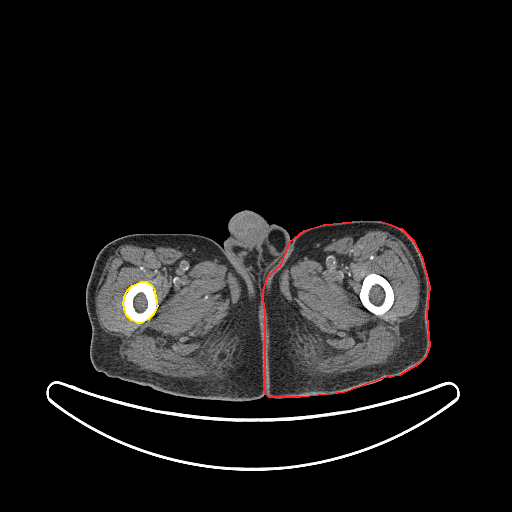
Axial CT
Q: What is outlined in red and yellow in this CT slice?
A: red: left leg; yellow: bones.
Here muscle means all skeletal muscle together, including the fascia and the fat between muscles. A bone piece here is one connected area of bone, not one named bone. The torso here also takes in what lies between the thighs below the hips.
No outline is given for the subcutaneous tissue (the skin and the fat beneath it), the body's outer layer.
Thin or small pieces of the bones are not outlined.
The left leg is outlined by 361,220 381,221 401,228 412,239 421,256 429,286 426,314 429,346 425,357 418,364 399,375 386,377 344,392 300,397 269,397 265,393 265,311 263,300 263,290 268,275 281,264 290,241 304,230 323,224. The bones are outlined by 140,281 146,281 152,286 154,290 154,293 155,294 155,298 156,299 156,303 157,305 153,314 148,319 141,323 137,323 131,320 126,315 125,311 124,310 123,301 124,300 124,296 128,289 132,285. The right leg is outlined by 139,233 191,233 208,237 221,246 223,243 227,256 241,271 249,285 262,296 265,395 249,401 182,397 164,393 149,386 108,377 93,367 89,355 92,330 86,310 85,296 86,285 95,258 99,251 112,240. The torso is outlined by 243,210 251,210 257,212 262,215 269,223 274,223 283,227 288,232 290,238 288,246 280,264 267,275 262,290 262,295 259,294 250,285 242,271 228,256 224,245 224,240 229,234 227,228 229,219 235,213. The muscle appears in 2 outlined pieces: piece 1: 368,230 390,233 401,240 410,252 419,279 417,309 411,317 400,324 400,336 403,340 398,352 386,363 352,375 314,374 309,367 309,337 280,291 281,275 296,259 310,251 324,247 333,239 359,233 364,234; piece 2: 124,244 150,248 177,248 190,257 202,260 216,259 235,275 241,289 240,296 220,326 223,333 232,333 236,338 235,359 227,378 195,381 165,376 139,370 118,357 120,340 101,327 96,313 95,290 108,258, around a hole outlined by 140,281 146,281 152,286 154,290 154,293 155,294 155,298 156,299 156,303 157,305 153,314 148,319 141,323 137,323 131,320 126,315 125,311 124,310 123,301 124,300 124,296 128,289 132,285.